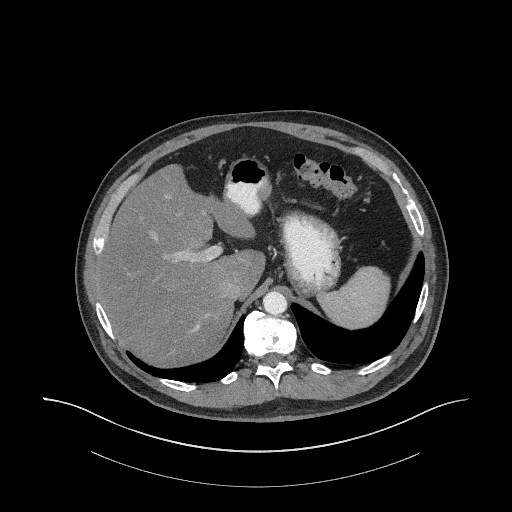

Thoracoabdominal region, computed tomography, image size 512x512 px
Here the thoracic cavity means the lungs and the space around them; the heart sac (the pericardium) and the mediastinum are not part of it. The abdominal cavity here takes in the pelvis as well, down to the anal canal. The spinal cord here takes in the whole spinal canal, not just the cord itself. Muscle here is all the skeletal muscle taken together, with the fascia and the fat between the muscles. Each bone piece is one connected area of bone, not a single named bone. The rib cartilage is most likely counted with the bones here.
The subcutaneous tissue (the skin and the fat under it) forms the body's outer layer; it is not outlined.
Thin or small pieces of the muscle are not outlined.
The mediastinum is outlined by 295,325 296,325 295,318 290,307 292,302 290,300 289,296 284,291 279,289 269,289 266,291 261,295 259,298 248,306 244,314 245,316 245,315 252,309 258,309 273,316 282,317 283,318 289,319 292,321. The spinal cord is outlined by 271,366 275,366 276,365 276,364 280,360 281,360 282,359 282,356 280,354 278,354 277,353 275,353 274,352 272,352 271,353 268,353 267,354 266,354 262,358 262,362 264,364 266,364 267,365 270,365. The bones appear in 9 outlined pieces: piece 1: 276,390 278,388 280,376 285,371 293,369 289,362 289,355 296,347 298,337 297,329 294,324 289,320 273,317 258,310 252,310 246,315 243,324 244,349 247,354 255,358 256,361 255,374 267,376 272,381; inner edge: 271,366 275,366 276,365 276,364 280,360 281,360 282,359 282,356 280,354 278,354 277,353 275,353 274,352 272,352 271,353 268,353 267,354 266,354 262,358 262,362 264,364 266,364 267,365 270,365; piece 2: 420,236 424,234 424,227 421,215 414,200 407,189 403,186 397,174 392,171 385,162 372,152 359,146 350,147 349,150 352,153 358,155 383,173 389,175 399,186 401,192 405,196 405,208 412,220 417,234; piece 3: 96,255 99,255 103,247 103,244 109,226 109,222 111,219 111,216 113,213 113,211 129,188 139,179 143,173 134,172 131,174 120,184 112,194 110,200 100,218 98,226 95,231 95,235 93,238 93,249; piece 4: 360,375 364,375 365,374 367,374 368,373 373,372 377,370 379,368 384,366 391,359 392,357 392,355 390,353 389,353 383,356 381,358 369,364 367,364 359,368 356,371 356,372; piece 5: 112,339 115,339 115,336 111,329 111,325 105,314 105,312 101,305 101,303 99,301 96,301 96,302 95,303 95,309 96,310 96,314 97,315 97,317 98,318 101,325 103,327 104,330 106,332 106,333; piece 6: 412,323 415,323 418,320 419,317 422,313 422,311 426,303 427,295 428,294 428,284 427,282 424,280 423,281 423,284 422,285 421,292 419,296 419,299 416,306 415,313 412,320; piece 7: 184,391 191,391 192,390 194,390 197,387 196,384 194,383 186,383 185,382 181,382 180,381 176,381 175,380 171,380 170,379 166,379 165,378 158,378 158,380 163,384 172,388 178,389 179,390 183,390; piece 8: 322,374 329,374 330,373 331,373 331,372 332,371 332,369 330,367 328,367 326,365 324,365 321,363 319,363 318,362 312,362 310,364 310,368 313,371 314,371 315,372 317,372 318,373 321,373; piece 9: 224,384 227,384 228,383 230,383 232,381 235,380 237,378 237,377 238,376 238,372 236,370 233,370 231,372 230,372 228,374 227,374 224,377 221,378 219,380 221,383 223,383. The thoracic cavity appears in 2 outlined pieces: piece 1: 354,365 364,365 390,352 403,337 411,322 423,280 424,258 421,252 418,254 410,274 398,294 391,302 382,317 369,328 355,331 348,331 338,328 298,304 292,303 291,307 296,318 298,334 311,355 322,361; piece 2: 195,383 218,380 233,369 235,369 235,366 239,361 243,352 242,324 244,315 240,317 228,340 220,351 208,360 197,364 182,368 171,369 156,368 144,363 127,351 128,356 134,363 153,375 158,377 165,377. The torso is outlined by 258,423 319,417 382,399 411,379 425,362 445,303 447,246 437,209 422,179 404,155 379,134 326,112 283,109 213,114 156,131 109,168 79,232 74,266 77,305 88,338 108,371 130,391 165,409 205,419. The abdominal cavity is outlined by 162,368 182,367 213,356 247,306 269,288 284,290 293,302 338,327 355,330 375,323 399,291 421,250 385,178 358,156 341,149 253,126 206,137 152,164 114,211 100,254 98,291 112,329 126,350 144,362. The muscle appears in 2 outlined pieces: piece 1: 216,408 232,408 233,407 239,407 244,405 259,404 280,397 288,397 294,399 315,399 316,400 335,400 336,399 342,399 366,391 374,386 380,380 402,364 408,356 413,352 423,340 428,329 428,326 431,319 432,308 434,302 435,283 436,282 435,251 431,239 431,229 425,212 413,188 400,169 390,159 369,145 361,142 347,134 331,128 323,127 322,126 317,126 316,125 311,125 310,124 292,122 291,121 247,121 246,122 230,122 229,123 212,124 211,125 196,128 179,134 171,139 169,139 161,143 153,149 145,153 128,167 128,168 113,182 107,190 94,215 93,222 86,243 86,248 84,255 85,262 84,263 84,269 83,270 84,287 88,301 91,306 91,314 92,315 93,322 95,324 99,333 99,337 102,347 107,356 119,367 141,380 144,383 149,385 154,389 162,393 164,393 179,401 191,405 202,406 203,407 215,407 with holes at 184,391 194,390 200,382 219,380 227,384 235,380 238,376 235,366 244,349 255,358 255,374 267,376 277,390 280,376 293,369 289,355 299,336 312,356 322,361 362,365 356,371 360,375 377,370 391,359 390,352 410,323 415,323 422,313 428,284 423,279 421,246 388,182 372,167 389,175 399,186 418,235 424,234 421,215 397,174 385,162 359,146 350,147 350,154 279,131 244,126 171,152 152,164 144,174 134,172 120,184 112,194 93,238 94,252 100,256 100,300 95,303 96,314 106,333 112,339 117,337 120,340 134,363 157,376 163,384 and at 322,374 329,374 330,373 331,373 331,372 332,371 332,369 330,367 328,367 326,365 324,365 321,363 319,363 318,362 312,362 310,364 310,368 313,371 314,371 315,372 317,372 318,373 321,373; piece 2: 127,193 129,191 130,191 135,186 135,185 139,181 139,180 131,188 130,188 130,189 127,192.